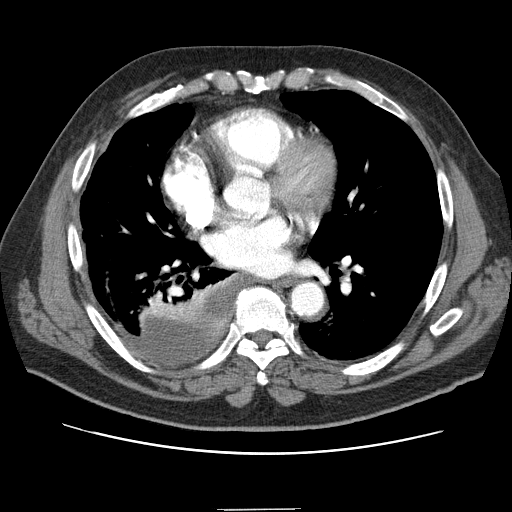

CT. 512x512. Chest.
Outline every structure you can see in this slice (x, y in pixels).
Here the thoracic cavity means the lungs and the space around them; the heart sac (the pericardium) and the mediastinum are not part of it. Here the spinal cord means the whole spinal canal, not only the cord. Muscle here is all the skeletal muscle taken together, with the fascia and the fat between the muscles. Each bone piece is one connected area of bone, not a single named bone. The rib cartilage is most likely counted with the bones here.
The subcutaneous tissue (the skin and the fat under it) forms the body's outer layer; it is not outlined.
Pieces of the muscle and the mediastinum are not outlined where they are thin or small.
Outlined structures:
bones 1: (253, 286) (267, 287) (279, 296) (285, 304) (287, 318) (296, 326) (295, 335) (307, 356) (291, 351) (272, 359) (264, 369) (268, 379) (265, 385) (257, 382) (259, 367) (247, 356) (237, 354) (234, 348) (223, 361) (205, 369) (193, 369) (227, 334) (235, 317) (238, 293), around a hole outlined by (261, 329) (263, 329) (264, 330) (269, 331) (272, 333) (272, 338) (271, 339) (270, 339) (263, 346) (263, 347) (262, 348) (260, 348) (257, 344) (257, 343) (253, 340) (252, 340) (252, 339) (251, 338) (251, 335) (253, 333) (254, 333) (258, 330) (260, 330)
bones 2: (298, 67) (315, 70) (305, 89) (281, 85) (258, 93) (241, 88) (222, 93) (212, 86) (206, 91) (177, 98) (153, 111) (129, 119) (124, 117) (133, 106) (154, 92) (177, 84) (194, 84) (214, 69) (232, 72) (240, 69) (253, 75) (268, 76) (279, 69) (290, 71)
bones 3: (334, 73) (339, 73) (345, 76) (357, 79) (371, 86) (398, 104) (407, 114) (409, 117) (409, 120) (407, 122) (405, 122) (394, 114) (372, 103) (366, 98) (354, 91) (348, 89) (340, 89) (334, 87) (329, 84) (324, 83) (322, 79) (323, 76) (326, 74) (333, 74)
bones 4: (84, 302) (89, 302) (97, 309) (113, 331) (119, 337) (124, 345) (136, 358) (140, 359) (146, 365) (155, 369) (158, 373) (149, 373) (148, 372) (141, 371) (132, 366) (128, 362) (122, 358) (106, 342) (95, 328) (86, 312) (86, 310) (83, 304)
bones 5: (400, 340) (403, 340) (406, 343) (404, 348) (390, 362) (377, 371) (370, 372) (363, 375) (346, 375) (345, 374) (343, 374) (340, 371) (340, 369) (341, 368) (344, 367) (348, 364) (357, 363) (358, 362) (361, 362) (362, 361) (367, 360) (369, 358) (376, 355) (389, 346)
bones 6: (92, 139) (95, 139) (97, 141) (97, 143) (96, 144) (96, 148) (95, 149) (94, 156) (92, 160) (91, 169) (87, 174) (80, 189) (78, 191) (75, 192) (72, 190) (72, 188) (71, 187) (71, 179) (73, 174) (73, 169) (79, 155) (85, 147) (86, 144)
bones 7: (439, 167) (441, 167) (445, 172) (449, 182) (450, 190) (451, 191) (452, 203) (453, 204) (453, 223) (452, 224) (452, 227) (450, 229) (444, 228) (444, 225) (443, 224) (442, 212) (441, 211) (440, 199) (439, 198) (438, 186) (437, 185) (437, 178) (436, 177) (436, 169)
bones 8: (443, 261) (446, 261) (448, 265) (447, 267) (447, 273) (445, 277) (443, 286) (437, 297) (437, 299) (429, 311) (422, 317) (421, 316) (421, 312) (423, 308) (421, 306) (418, 308) (417, 308) (417, 307) (425, 295) (425, 293) (437, 265)
bones 9: (70, 222) (72, 222) (74, 224) (80, 237) (80, 244) (81, 245) (81, 248) (84, 257) (84, 262) (83, 263) (83, 266) (81, 268) (81, 272) (77, 272) (74, 270) (73, 266) (71, 263) (71, 260) (68, 251) (68, 245) (67, 244) (67, 228) (68, 227) (68, 224)
bones 10: (453, 307) (463, 307) (464, 308) (464, 312) (459, 318) (459, 319) (450, 328) (449, 328) (442, 334) (441, 334) (438, 336) (434, 336) (430, 332) (430, 330) (429, 329) (429, 326) (431, 324) (432, 324) (434, 322) (435, 322) (446, 311) (447, 311) (449, 309) (450, 309)
mediastinum 1: (305, 246) (306, 253) (314, 262) (313, 269) (315, 274) (323, 289) (326, 290) (329, 308) (319, 321) (302, 322) (297, 328) (287, 316) (286, 304) (269, 287) (253, 285) (245, 287) (238, 292) (238, 290) (242, 283) (241, 274) (262, 280) (273, 280) (284, 276) (296, 263)
mediastinum 2: (281, 86) (296, 90) (298, 89) (305, 90) (307, 89) (309, 86) (333, 87) (315, 90) (284, 91) (280, 94) (279, 99) (283, 106) (303, 119) (283, 108) (251, 97) (211, 107) (198, 113) (195, 117) (194, 108) (189, 103) (173, 102) (210, 90) (226, 94) (241, 89) (248, 93) (258, 94) (275, 90)
mediastinum 3: (174, 214) (175, 214) (175, 215) (176, 216) (177, 216) (179, 221) (180, 222) (181, 222) (181, 223) (182, 224) (182, 225) (186, 232) (186, 235) (187, 236) (187, 237) (185, 235) (184, 232) (180, 227) (180, 226) (179, 225) (179, 224) (175, 217) (175, 215)
pericardium: (248, 98) (260, 100) (305, 122) (313, 123) (331, 142) (336, 159) (337, 173) (329, 209) (323, 214) (316, 230) (292, 267) (284, 275) (273, 279) (253, 277) (216, 264) (197, 241) (188, 237) (178, 216) (166, 205) (160, 187) (160, 179) (170, 152) (194, 118) (211, 108)
spinal cord: (261, 329) (263, 329) (264, 330) (269, 331) (272, 333) (272, 338) (271, 339) (270, 339) (263, 346) (263, 347) (262, 348) (260, 348) (257, 344) (257, 343) (253, 340) (252, 340) (252, 339) (251, 338) (251, 335) (253, 333) (254, 333) (258, 330) (260, 330)
torso: (302, 44) (360, 50) (415, 73) (448, 102) (497, 172) (508, 213) (511, 279) (501, 328) (482, 375) (458, 385) (449, 393) (348, 425) (303, 431) (208, 432) (121, 414) (29, 373) (6, 313) (0, 273) (0, 240) (47, 152) (83, 100) (124, 64) (155, 50) (190, 45)
muscle: (312, 67) (339, 69) (381, 87) (410, 109) (461, 170) (490, 239) (511, 259) (509, 299) (488, 333) (447, 361) (379, 387) (288, 406) (258, 390) (249, 403) (234, 407) (142, 393) (25, 330) (16, 312) (18, 281) (66, 159) (132, 89) (172, 72) (218, 68) (226, 69) (208, 70) (194, 83) (177, 83) (144, 97) (126, 112) (127, 120) (93, 163) (95, 138) (85, 144) (74, 163) (71, 190) (76, 193) (83, 185) (79, 231) (70, 221) (66, 244) (72, 268) (81, 273) (83, 267) (95, 302) (95, 306) (82, 303) (92, 325) (122, 359) (149, 374) (159, 372) (142, 360) (168, 368) (197, 362) (191, 368) (200, 371) (223, 362) (234, 349) (258, 367) (256, 382) (265, 386) (269, 382) (265, 369) (272, 360) (291, 352) (308, 356) (302, 344) (324, 358) (349, 362) (339, 369) (346, 376) (374, 373) (390, 363) (407, 344) (403, 339) (394, 341) (417, 309) (422, 308) (422, 318) (430, 311) (446, 280) (448, 262) (438, 263) (438, 259) (443, 231) (454, 223) (450, 182) (441, 166) (435, 170) (407, 123) (410, 117) (398, 103) (339, 72) (322, 76) (329, 85) (309, 85) (316, 73), around a hole outlined by (453, 307) (463, 307) (464, 308) (464, 312) (459, 318) (459, 319) (450, 328) (449, 328) (442, 334) (441, 334) (438, 336) (434, 336) (430, 332) (430, 330) (429, 329) (429, 326) (431, 324) (432, 324) (434, 322) (435, 322) (446, 311) (447, 311) (449, 309) (450, 309)
thoracic cavity 1: (328, 88) (354, 92) (413, 130) (435, 171) (443, 225) (437, 264) (408, 323) (392, 344) (351, 363) (316, 353) (301, 343) (295, 332) (302, 323) (319, 322) (330, 308) (327, 290) (306, 246) (331, 209) (338, 169) (332, 142) (313, 122) (287, 109) (280, 96) (284, 92)
thoracic cavity 2: (171, 103) (189, 104) (194, 114) (165, 160) (159, 179) (163, 203) (184, 235) (197, 242) (211, 258) (210, 266) (240, 273) (241, 278) (234, 317) (220, 343) (199, 361) (177, 367) (156, 365) (136, 355) (98, 310) (84, 269) (79, 233) (84, 182) (114, 132) (128, 120)